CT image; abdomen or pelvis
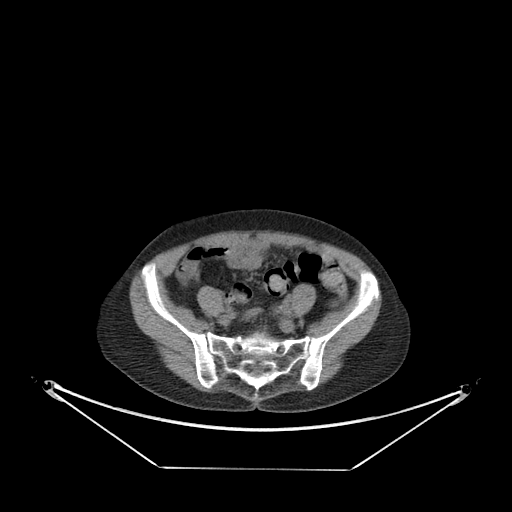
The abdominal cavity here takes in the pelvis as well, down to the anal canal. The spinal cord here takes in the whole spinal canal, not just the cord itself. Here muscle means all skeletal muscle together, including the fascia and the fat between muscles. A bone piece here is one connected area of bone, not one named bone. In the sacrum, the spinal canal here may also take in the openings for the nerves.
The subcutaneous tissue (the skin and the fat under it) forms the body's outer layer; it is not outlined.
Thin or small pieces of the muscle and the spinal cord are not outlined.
{"bones":[{"outer":[[148,262],[155,263],[166,309],[197,333],[323,335],[356,304],[364,269],[375,275],[379,296],[326,343],[315,388],[307,390],[300,382],[301,361],[255,397],[253,386],[220,365],[216,383],[210,388],[200,383],[191,340],[148,301],[141,278]],"hole":[[251,366],[257,366],[258,367],[262,367],[263,368],[265,368],[266,369],[261,374],[260,374],[259,375],[258,375],[257,376],[256,376],[255,375],[253,375],[252,374],[252,372],[251,371],[249,371],[249,370],[248,369]]}],"abdominal_cavity":[{"outer":[[255,239],[284,247],[303,246],[329,253],[354,282],[353,294],[343,307],[326,312],[308,326],[305,335],[298,338],[278,338],[259,330],[244,336],[227,336],[213,332],[212,326],[197,317],[190,308],[172,300],[166,279],[180,258],[194,246],[227,246]],"hole":[[299,284],[309,284],[311,285],[314,288],[315,290],[315,293],[316,294],[315,302],[313,304],[312,307],[306,313],[305,313],[301,316],[298,316],[296,315],[292,310],[291,308],[291,303],[290,302],[290,297],[289,296],[292,292],[293,289],[297,285]]}],"muscle":[[[230,230],[270,230],[307,236],[351,252],[372,271],[364,268],[360,270],[356,302],[351,310],[330,330],[315,336],[306,334],[309,326],[319,321],[326,313],[343,308],[354,294],[356,286],[329,252],[303,245],[284,246],[256,238],[227,245],[194,245],[179,258],[165,279],[165,286],[176,305],[190,309],[197,318],[211,326],[211,331],[197,332],[186,327],[167,309],[159,289],[156,263],[148,261],[163,251],[201,236]],[[140,268],[150,306],[190,340],[196,377],[203,387],[210,389],[219,381],[220,366],[227,374],[235,374],[253,387],[256,398],[262,387],[289,374],[302,362],[298,380],[306,390],[283,393],[256,403],[230,392],[199,390],[174,374],[133,318],[129,287]],[[377,277],[382,292],[382,304],[379,314],[372,328],[359,342],[348,349],[343,355],[344,357],[343,365],[339,371],[332,378],[317,387],[320,382],[320,377],[323,369],[323,357],[327,343],[344,326],[365,312],[374,301],[377,301],[379,299],[380,289]],[[299,284],[309,284],[311,285],[314,288],[315,290],[315,293],[316,294],[315,302],[313,304],[312,307],[306,313],[305,313],[301,316],[298,316],[296,315],[292,310],[291,308],[291,303],[290,302],[290,297],[289,296],[292,292],[293,289],[297,285]],[[203,286],[211,286],[214,288],[219,289],[222,292],[222,299],[223,300],[223,310],[218,315],[217,315],[216,316],[211,316],[210,317],[209,316],[206,315],[202,311],[202,310],[198,303],[198,301],[197,300],[197,293],[200,289],[200,288],[201,288]]],"spinal_cord":[[[251,366],[257,366],[258,367],[262,367],[263,368],[265,368],[266,369],[261,374],[260,374],[259,375],[258,375],[257,376],[256,376],[255,375],[253,375],[252,374],[252,372],[251,371],[249,371],[249,370],[248,369]]],"torso":[[[250,207],[285,209],[325,220],[354,235],[377,257],[394,283],[410,317],[410,346],[403,364],[394,375],[351,399],[307,412],[274,413],[257,409],[243,412],[206,411],[184,407],[156,396],[102,356],[95,337],[99,305],[139,251],[162,230],[182,219]]]}